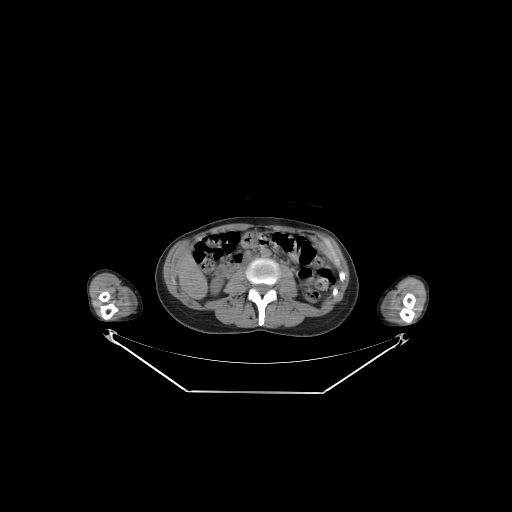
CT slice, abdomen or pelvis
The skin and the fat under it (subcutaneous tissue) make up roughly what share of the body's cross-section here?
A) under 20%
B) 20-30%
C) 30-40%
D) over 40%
Answer: B) 20-30%
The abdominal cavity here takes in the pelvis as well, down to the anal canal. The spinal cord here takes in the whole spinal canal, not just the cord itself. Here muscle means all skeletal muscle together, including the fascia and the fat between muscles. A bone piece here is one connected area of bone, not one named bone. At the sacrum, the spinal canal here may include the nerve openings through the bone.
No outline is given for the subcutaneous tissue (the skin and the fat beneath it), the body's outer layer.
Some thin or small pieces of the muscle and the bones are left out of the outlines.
Outlined structures:
bones 1: (257, 257) (272, 258) (279, 265) (279, 277) (273, 286) (276, 291) (277, 299) (269, 302) (266, 305) (264, 310) (265, 315) (262, 326) (258, 325) (258, 309) (257, 306) (254, 302) (248, 299) (247, 297) (248, 291) (252, 285) (245, 275) (245, 271) (248, 264) (253, 259) with a hole at (258, 284) (265, 284) (266, 285) (267, 285) (269, 287) (269, 288) (263, 294) (261, 294) (257, 290) (257, 289) (254, 286) (255, 285) (257, 285)
bones 2: (103, 291) (107, 291) (109, 293) (110, 295) (110, 300) (114, 303) (114, 304) (117, 307) (118, 309) (118, 310) (110, 318) (110, 319) (108, 320) (105, 320) (103, 319) (100, 315) (100, 306) (102, 304) (102, 303) (99, 300) (98, 298) (98, 296) (99, 294)
bones 3: (407, 293) (411, 293) (413, 294) (413, 295) (415, 297) (415, 303) (413, 307) (413, 310) (414, 311) (414, 316) (412, 319) (412, 321) (410, 323) (406, 323) (401, 318) (401, 317) (399, 315) (399, 313) (401, 309) (403, 307) (403, 303) (402, 302) (402, 300) (404, 296)
bones 4: (323, 238) (327, 238) (329, 240) (330, 243) (332, 245) (332, 247) (335, 252) (335, 254) (337, 256) (337, 257) (340, 261) (340, 265) (339, 267) (337, 267) (334, 264) (333, 262) (333, 259) (332, 258) (332, 255) (328, 247) (322, 241) (322, 239)
bones 5: (341, 270) (342, 270) (345, 273) (345, 278) (344, 279) (344, 280) (343, 281) (341, 281) (339, 279) (339, 277) (338, 276) (338, 273) (339, 272) (339, 271) (340, 271)
torso: (233, 216) (278, 216) (317, 224) (332, 231) (341, 240) (351, 255) (359, 280) (357, 301) (345, 321) (337, 328) (327, 333) (312, 337) (295, 337) (265, 331) (210, 334) (188, 328) (176, 321) (164, 309) (156, 293) (154, 271) (159, 256) (164, 248) (177, 236) (209, 222)
muscle 1: (230, 223) (283, 225) (312, 229) (332, 237) (346, 259) (350, 274) (342, 300) (329, 313) (306, 318) (292, 327) (263, 326) (267, 305) (278, 299) (274, 286) (280, 277) (280, 265) (292, 274) (297, 283) (297, 295) (294, 299) (318, 310) (321, 308) (321, 301) (332, 289) (332, 296) (337, 296) (336, 286) (345, 280) (346, 273) (342, 269) (338, 272) (334, 267) (339, 268) (341, 261) (327, 237) (323, 237) (321, 241) (327, 247) (332, 262) (312, 239) (301, 233) (258, 227) (208, 232) (195, 242) (176, 269) (179, 287) (203, 305) (207, 300) (223, 297) (228, 276) (246, 265) (244, 275) (251, 285) (246, 297) (256, 306) (258, 326) (226, 325) (210, 312) (183, 305) (169, 293) (163, 279) (163, 265) (167, 254) (180, 240)
muscle 2: (104, 272) (116, 276) (121, 281) (122, 285) (127, 286) (134, 293) (137, 300) (137, 306) (133, 313) (116, 319) (111, 319) (119, 309) (111, 300) (111, 295) (107, 290) (101, 291) (97, 296) (101, 303) (99, 306) (100, 316) (95, 312) (89, 287) (92, 279) (98, 274)
muscle 3: (407, 277) (413, 277) (422, 282) (426, 293) (423, 308) (418, 317) (413, 320) (415, 316) (414, 307) (416, 303) (416, 297) (413, 293) (407, 292) (401, 300) (402, 307) (398, 313) (404, 323) (388, 321) (381, 311) (382, 302) (386, 295) (391, 290) (395, 289) (401, 280)
abdominal cavity: (258, 228) (301, 234) (312, 240) (332, 263) (339, 282) (320, 301) (320, 308) (296, 300) (298, 283) (293, 274) (274, 258) (266, 256) (257, 256) (247, 265) (243, 264) (234, 269) (227, 276) (224, 295) (207, 299) (203, 304) (180, 287) (177, 269) (201, 237) (212, 232)
right arm: (98, 268) (109, 268) (118, 272) (129, 280) (137, 288) (141, 295) (142, 301) (143, 302) (143, 310) (142, 313) (138, 317) (128, 322) (114, 322) (108, 324) (103, 321) (99, 321) (92, 316) (87, 301) (86, 280) (88, 276) (94, 270)
left arm: (407, 273) (414, 273) (415, 274) (418, 274) (422, 276) (426, 280) (429, 286) (429, 303) (428, 304) (427, 310) (423, 317) (417, 323) (411, 325) (407, 325) (403, 327) (387, 327) (380, 322) (376, 314) (376, 305) (378, 299) (383, 291) (390, 284) (391, 284) (401, 275)
spinal cord: (258, 284) (265, 284) (266, 285) (267, 285) (269, 287) (269, 288) (263, 294) (261, 294) (257, 290) (257, 289) (254, 286) (255, 285) (257, 285)